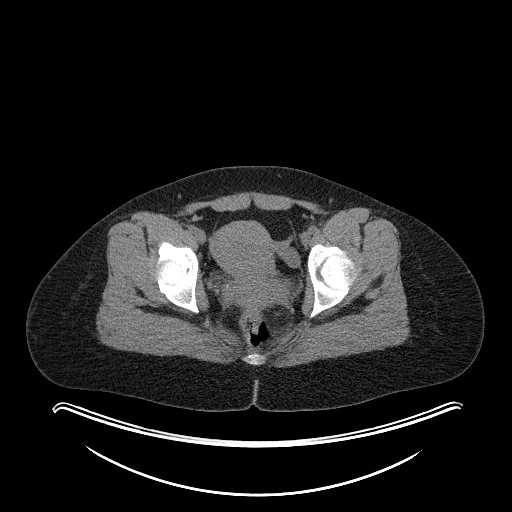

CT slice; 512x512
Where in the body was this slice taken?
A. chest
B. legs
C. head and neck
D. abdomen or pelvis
D. abdomen or pelvis
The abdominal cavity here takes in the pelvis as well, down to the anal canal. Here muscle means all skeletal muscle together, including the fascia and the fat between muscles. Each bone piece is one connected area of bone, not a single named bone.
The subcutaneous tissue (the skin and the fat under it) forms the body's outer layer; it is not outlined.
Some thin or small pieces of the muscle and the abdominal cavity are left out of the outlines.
torso: 236 165; 309 171; 411 214; 438 232; 470 269; 483 301; 483 340; 471 365; 442 383; 344 407; 287 412; 263 411; 254 405; 236 411; 198 411; 66 388; 44 377; 30 356; 25 321; 32 294; 55 261; 84 231; 131 198; 200 171
abdominal cavity: 251 202; 264 210; 286 210; 297 205; 326 218; 309 240; 301 316; 297 321; 290 322; 271 346; 261 352; 246 350; 243 339; 209 311; 210 303; 196 253; 198 243; 194 234; 180 223; 181 218; 205 207; 219 212; 235 211; 247 208
bones 1: 315 244; 336 245; 344 250; 347 255; 353 261; 355 267; 355 273; 356 274; 354 280; 349 288; 348 292; 340 302; 329 308; 324 309; 313 317; 310 318; 309 315; 312 310; 313 303; 314 302; 314 290; 307 269; 307 258; 311 247
bones 2: 163 240; 168 241; 175 246; 188 246; 195 252; 197 256; 199 268; 195 285; 195 299; 196 300; 196 305; 199 311; 198 313; 195 313; 186 308; 178 306; 172 303; 159 289; 155 276; 155 270; 156 269; 156 263; 158 259; 158 245
bones 3: 252 352; 257 352; 258 353; 263 355; 266 358; 266 360; 265 361; 265 362; 263 364; 262 364; 261 365; 252 365; 251 364; 247 364; 246 363; 245 363; 243 361; 242 361; 241 360; 241 357; 242 357; 249 353; 251 353
muscle: 243 191; 285 195; 318 203; 328 210; 366 207; 392 222; 401 243; 400 275; 410 336; 402 344; 381 350; 286 367; 262 365; 267 358; 260 353; 302 316; 307 273; 313 290; 310 319; 340 303; 357 274; 354 261; 338 245; 310 246; 311 238; 327 218; 324 214; 297 204; 286 209; 264 209; 251 201; 245 208; 219 211; 205 206; 181 217; 179 223; 195 237; 196 251; 163 239; 157 245; 154 270; 159 291; 172 304; 195 314; 200 312; 196 285; 199 269; 202 272; 208 311; 233 330; 242 339; 244 349; 251 352; 240 357; 244 363; 158 356; 101 343; 96 336; 95 317; 107 280; 110 227; 136 211; 173 213; 190 202